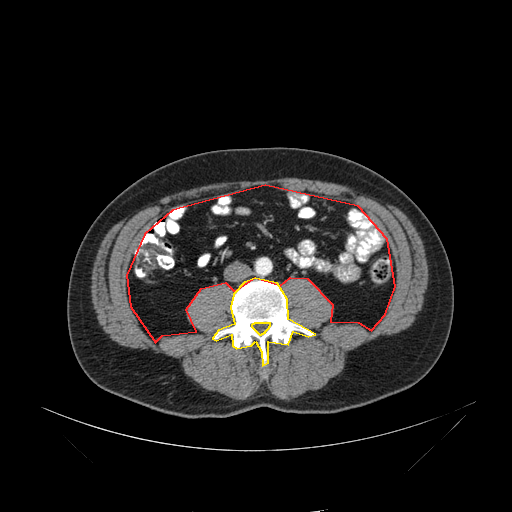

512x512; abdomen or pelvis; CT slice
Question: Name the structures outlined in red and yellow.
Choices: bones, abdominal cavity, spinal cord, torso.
Answer: red: abdominal cavity; yellow: bones.
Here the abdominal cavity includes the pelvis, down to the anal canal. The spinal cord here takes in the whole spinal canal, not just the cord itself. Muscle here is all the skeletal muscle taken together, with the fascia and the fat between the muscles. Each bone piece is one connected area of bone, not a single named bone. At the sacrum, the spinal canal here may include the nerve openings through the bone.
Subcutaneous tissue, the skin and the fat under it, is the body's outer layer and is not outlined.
The abdominal cavity is outlined by [[155,342],[162,335],[196,331],[186,309],[201,288],[225,282],[234,291],[255,277],[280,285],[290,277],[307,278],[332,304],[330,321],[358,322],[371,330],[385,314],[395,286],[387,239],[358,206],[265,185],[172,210],[144,234],[126,275],[130,306]]. The bones are outlined by [[262,365],[268,362],[268,341],[288,344],[293,331],[308,336],[315,334],[288,319],[287,299],[277,283],[255,278],[244,282],[233,294],[230,307],[234,324],[218,330],[212,338],[216,340],[231,334],[232,345],[236,348],[251,345],[255,341],[261,351]]; inner edge: [[259,334],[261,334],[262,333],[263,333],[264,332],[265,332],[265,331],[269,327],[269,326],[270,325],[270,323],[254,323],[253,324],[252,324],[251,325],[251,326]]. The spinal cord is outlined by [[259,334],[261,334],[262,333],[263,333],[264,332],[265,332],[265,331],[269,327],[269,326],[270,325],[270,323],[254,323],[253,324],[252,324],[251,325],[251,326]]. The torso is outlined by [[186,418],[227,417],[257,407],[300,414],[335,413],[416,384],[441,355],[454,308],[446,250],[418,205],[394,183],[358,162],[323,151],[281,146],[219,149],[186,156],[150,171],[115,196],[89,226],[73,260],[67,291],[71,346],[85,374],[101,389]]. The muscle is outlined by [[287,401],[308,397],[332,383],[343,370],[350,350],[379,336],[392,335],[405,330],[415,320],[415,316],[422,308],[428,285],[428,264],[423,242],[411,221],[402,211],[379,198],[345,185],[284,177],[221,182],[182,190],[166,195],[134,211],[108,230],[100,242],[93,262],[90,287],[92,304],[98,323],[113,341],[130,348],[151,349],[177,359],[188,382],[195,388],[213,396],[230,400],[245,399],[264,384],[273,395]]; inner edge: [[262,365],[268,362],[268,341],[288,344],[293,331],[315,334],[287,317],[280,284],[290,277],[307,278],[320,288],[334,308],[330,321],[358,322],[371,330],[385,314],[396,278],[392,254],[387,239],[360,207],[256,185],[172,210],[142,237],[127,268],[126,289],[148,336],[157,342],[162,335],[196,331],[186,318],[191,299],[201,288],[225,282],[234,291],[230,307],[235,322],[212,338],[231,334],[236,348],[255,341]].